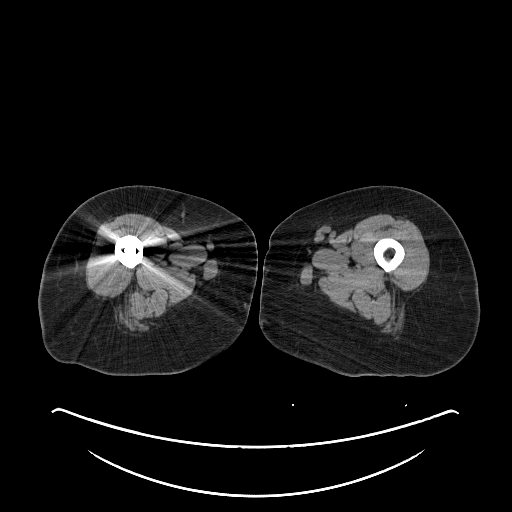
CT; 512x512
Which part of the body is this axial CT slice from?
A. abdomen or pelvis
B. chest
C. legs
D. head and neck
C. legs
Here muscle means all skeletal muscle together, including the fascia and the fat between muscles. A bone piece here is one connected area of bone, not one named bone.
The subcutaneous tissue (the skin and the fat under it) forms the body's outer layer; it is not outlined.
The muscle appears in 2 outlined pieces: piece 1: [[378,213],[404,216],[412,221],[419,228],[430,256],[427,279],[407,299],[402,329],[397,337],[381,334],[358,322],[349,313],[334,306],[320,296],[315,297],[306,293],[297,283],[298,268],[296,265],[296,256],[314,232],[328,226],[337,228],[346,227]], around a hole outlined by [[385,237],[390,237],[391,238],[393,238],[397,240],[403,246],[403,248],[404,249],[404,257],[402,261],[399,264],[399,265],[398,265],[390,272],[386,272],[377,263],[374,257],[374,255],[373,254],[373,248],[376,242],[379,239],[381,238],[384,238]]; piece 2: [[128,212],[151,216],[174,228],[209,235],[217,252],[216,257],[219,260],[214,279],[192,301],[182,305],[164,319],[159,327],[141,336],[129,336],[117,328],[112,306],[105,299],[96,296],[90,290],[86,280],[86,267],[97,242],[99,225],[108,219]]; inner edge: [[126,234],[132,234],[133,235],[136,235],[144,243],[145,243],[145,246],[143,248],[143,257],[142,258],[141,263],[137,264],[132,268],[129,268],[125,266],[119,260],[115,259],[113,256],[114,254],[114,245],[115,244],[115,239],[120,236],[123,236]]. The left leg is outlined by [[371,185],[402,186],[422,192],[434,199],[452,217],[471,254],[478,282],[479,327],[475,341],[465,357],[443,372],[429,376],[342,375],[304,362],[276,349],[264,337],[259,327],[258,314],[264,257],[269,237],[274,228],[291,213],[305,205],[342,191]]. The right leg is outlined by [[127,185],[159,186],[206,198],[237,214],[249,225],[255,236],[258,257],[257,277],[249,315],[243,330],[223,352],[187,371],[161,375],[105,374],[78,364],[55,360],[46,351],[42,341],[37,299],[44,261],[57,232],[67,217],[82,202],[102,191]]. The bones appear in 2 outlined pieces: piece 1: [[126,234],[132,234],[133,235],[136,235],[144,243],[145,243],[145,246],[143,248],[143,257],[142,258],[141,263],[137,264],[132,268],[129,268],[125,266],[119,260],[115,259],[113,256],[114,254],[114,245],[115,244],[115,239],[120,236],[123,236]]; piece 2: [[385,237],[390,237],[391,238],[393,238],[397,240],[403,246],[403,248],[404,249],[404,257],[402,261],[399,264],[399,265],[398,265],[390,272],[386,272],[377,263],[374,257],[374,255],[373,254],[373,248],[376,242],[379,239],[381,238],[384,238]].